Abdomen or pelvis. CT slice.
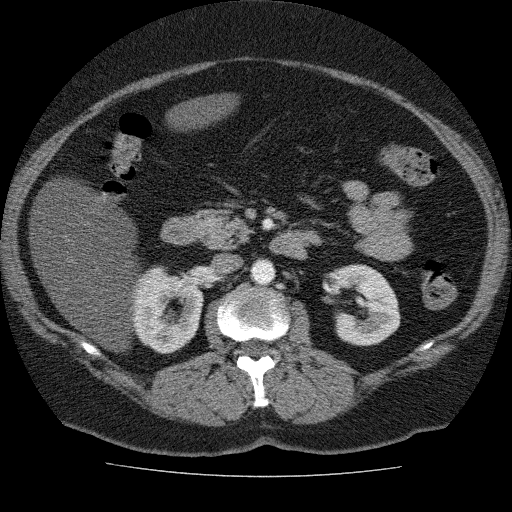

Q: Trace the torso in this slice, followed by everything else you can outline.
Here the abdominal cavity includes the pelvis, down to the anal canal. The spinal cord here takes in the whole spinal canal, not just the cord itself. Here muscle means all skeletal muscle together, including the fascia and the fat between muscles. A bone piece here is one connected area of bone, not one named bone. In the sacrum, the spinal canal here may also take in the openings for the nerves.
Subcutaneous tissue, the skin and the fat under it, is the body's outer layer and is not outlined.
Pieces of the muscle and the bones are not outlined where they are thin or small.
A: {"torso":[[[236,0],[313,6],[387,36],[448,87],[490,153],[509,221],[509,290],[490,357],[471,393],[443,428],[378,448],[333,455],[271,445],[212,457],[144,453],[66,426],[22,359],[4,302],[0,234],[10,183],[36,124],[76,73],[129,33],[183,10]]],"bones":[{"outer":[[237,287],[241,289],[254,287],[281,293],[291,318],[286,333],[273,342],[280,354],[280,359],[263,375],[265,396],[270,401],[264,407],[252,406],[253,385],[248,374],[237,366],[237,356],[233,353],[237,344],[220,332],[216,322],[218,305],[227,293]],"hole":[[252,338],[256,338],[257,339],[265,341],[267,342],[268,344],[267,345],[267,348],[265,351],[265,353],[263,355],[261,355],[256,359],[251,357],[247,354],[243,353],[244,352],[242,349],[242,346],[241,345],[241,343],[245,341],[247,341]]},[[81,337],[83,337],[88,342],[89,342],[90,343],[93,344],[95,346],[96,346],[103,354],[103,357],[102,357],[101,358],[100,358],[99,357],[96,357],[95,356],[88,353],[86,351],[85,351],[79,345],[79,344],[78,343],[78,341],[81,338]],[[431,339],[432,339],[434,341],[434,343],[433,344],[433,345],[430,347],[430,348],[429,348],[428,349],[427,349],[425,351],[423,351],[422,352],[414,352],[414,349],[416,347],[419,346],[421,344],[423,344],[424,343],[426,343],[427,342],[428,342]]],"muscle":[{"outer":[[238,56],[289,59],[304,61],[313,64],[319,64],[326,67],[335,68],[352,74],[363,76],[393,89],[411,101],[416,106],[422,108],[440,119],[445,124],[459,133],[468,142],[481,158],[493,178],[495,186],[499,192],[502,208],[505,214],[508,246],[506,270],[498,292],[493,298],[491,309],[481,325],[468,335],[455,348],[450,350],[435,365],[425,369],[420,369],[406,376],[386,382],[371,393],[369,393],[361,402],[349,411],[332,419],[315,424],[288,423],[280,418],[269,408],[255,409],[241,423],[234,426],[223,428],[196,428],[191,426],[185,426],[173,420],[169,420],[151,413],[110,385],[104,383],[93,376],[82,364],[74,359],[72,354],[67,348],[59,344],[50,343],[37,335],[30,328],[30,326],[20,313],[15,301],[10,295],[8,287],[6,285],[4,273],[0,265],[0,234],[2,228],[4,208],[10,186],[20,169],[30,157],[30,154],[44,140],[50,137],[57,130],[71,122],[95,102],[128,83],[143,77],[157,74],[166,70],[170,70],[188,64],[216,59],[227,59]],"hole":[[246,61],[320,72],[411,112],[465,171],[486,223],[469,305],[425,351],[361,370],[312,345],[288,296],[280,359],[263,375],[270,402],[255,408],[216,322],[223,296],[207,306],[208,350],[134,372],[38,308],[18,241],[30,191],[80,125],[126,95]]}],"abdominal_cavity":[[[246,61],[303,68],[365,87],[411,112],[455,158],[482,204],[486,232],[469,305],[453,325],[364,371],[312,345],[301,301],[273,289],[237,286],[207,306],[208,350],[141,373],[122,367],[38,308],[21,259],[18,223],[38,177],[67,138],[126,95]]],"spinal_cord":[[[252,338],[256,338],[257,339],[265,341],[267,342],[268,344],[267,345],[267,348],[265,351],[265,353],[263,355],[261,355],[256,359],[251,357],[247,354],[243,353],[244,352],[242,349],[242,346],[241,345],[241,343],[245,341],[247,341]]]}